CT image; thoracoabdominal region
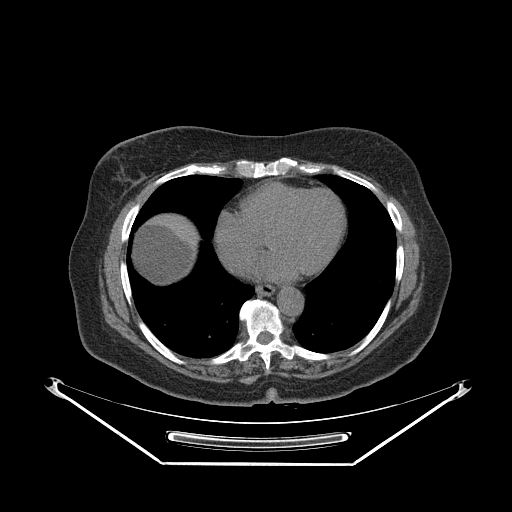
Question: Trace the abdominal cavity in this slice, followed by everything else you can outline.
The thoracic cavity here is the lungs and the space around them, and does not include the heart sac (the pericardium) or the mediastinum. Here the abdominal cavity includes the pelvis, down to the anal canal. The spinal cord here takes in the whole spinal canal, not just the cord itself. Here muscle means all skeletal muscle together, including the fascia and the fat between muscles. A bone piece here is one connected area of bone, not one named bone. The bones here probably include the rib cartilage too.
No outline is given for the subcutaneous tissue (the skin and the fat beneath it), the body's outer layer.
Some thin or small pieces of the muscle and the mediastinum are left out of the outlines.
Answer: {"abdominal_cavity":[[[163,212],[176,212],[189,218],[195,224],[200,234],[201,240],[199,243],[199,251],[197,259],[191,272],[186,277],[175,283],[165,286],[158,286],[154,285],[148,281],[136,271],[132,263],[131,254],[134,236],[138,228],[144,222],[151,218],[152,216]]],"spinal_cord":[[[265,331],[266,332],[268,332],[269,333],[270,333],[272,335],[272,339],[269,342],[268,342],[267,343],[266,343],[265,344],[263,344],[262,343],[260,343],[257,340],[257,338],[258,337],[258,335],[260,333],[261,333],[262,332],[264,332]]],"bones":[{"outer":[[249,299],[267,300],[278,309],[286,339],[310,351],[329,354],[330,357],[312,360],[295,355],[287,359],[274,350],[270,354],[269,372],[257,351],[244,361],[233,359],[221,364],[209,363],[210,358],[224,353],[240,339],[245,327],[239,320],[239,311]],"hole":[[265,331],[266,332],[268,332],[269,333],[270,333],[272,335],[272,339],[269,342],[268,342],[267,343],[266,343],[265,344],[263,344],[262,343],[260,343],[257,340],[257,338],[258,337],[258,335],[260,333],[261,333],[262,332],[264,332]]},[[281,157],[289,157],[303,164],[324,165],[323,173],[309,174],[294,171],[287,175],[262,177],[235,176],[231,172],[224,175],[195,173],[170,179],[156,187],[153,186],[157,179],[168,172],[191,163],[202,166],[216,164],[230,167],[239,159],[267,164]],[[139,317],[141,318],[141,319],[144,322],[144,323],[147,326],[150,331],[166,347],[171,350],[179,358],[185,361],[185,364],[179,364],[170,360],[168,358],[164,356],[161,353],[160,353],[147,340],[138,325],[138,319]],[[390,298],[391,299],[391,303],[390,304],[390,307],[389,308],[387,316],[378,332],[375,335],[375,336],[361,350],[353,355],[351,355],[350,356],[348,355],[348,354],[360,343],[361,340],[373,327],[373,326],[377,321],[378,318],[380,316],[388,300]],[[334,165],[340,168],[345,169],[349,171],[351,173],[355,175],[357,175],[367,180],[377,188],[378,192],[376,194],[375,194],[371,190],[370,190],[363,185],[361,185],[347,178],[345,178],[339,175],[334,174],[332,172],[332,170],[331,169],[332,166]],[[136,203],[140,203],[141,206],[132,223],[132,225],[131,226],[131,228],[129,232],[129,235],[128,236],[127,241],[126,242],[122,242],[121,241],[121,230],[122,229],[122,226],[123,225],[123,222],[124,221],[124,219],[128,211],[131,208],[131,207]],[[121,260],[124,260],[126,264],[127,274],[128,275],[128,279],[129,280],[129,284],[130,285],[130,289],[131,290],[131,297],[133,301],[132,305],[129,305],[127,301],[127,299],[122,286],[122,283],[121,282],[121,274],[120,273],[120,262]],[[387,200],[390,200],[394,204],[394,205],[396,207],[396,208],[398,210],[400,214],[400,216],[401,217],[401,222],[402,223],[402,231],[401,232],[399,232],[396,230],[395,228],[395,226],[385,206],[386,204],[386,201]],[[397,244],[401,244],[402,245],[402,246],[403,247],[403,270],[402,271],[402,274],[401,275],[401,278],[400,279],[400,280],[399,281],[399,282],[398,283],[396,283],[395,282],[395,273],[396,272],[396,250],[397,249]]],"muscle":[[[348,170],[358,171],[372,178],[403,206],[415,227],[420,260],[424,264],[424,284],[415,312],[356,364],[330,375],[313,379],[286,378],[270,374],[260,377],[251,384],[206,381],[192,378],[167,367],[122,336],[105,321],[101,309],[98,267],[104,256],[112,225],[121,209],[143,183],[158,174],[167,172],[152,183],[152,186],[156,188],[142,205],[136,202],[130,207],[120,230],[120,241],[126,243],[125,260],[121,259],[119,262],[121,286],[128,305],[132,306],[133,303],[139,315],[137,325],[140,331],[160,354],[179,365],[185,365],[186,361],[176,354],[195,359],[209,358],[207,361],[209,364],[221,365],[233,360],[244,362],[257,352],[267,373],[271,369],[271,354],[274,351],[287,360],[298,356],[306,360],[321,361],[328,360],[331,353],[345,350],[359,342],[347,354],[350,357],[357,354],[383,326],[391,307],[390,297],[394,285],[398,284],[402,278],[404,247],[401,243],[397,243],[396,231],[399,233],[403,231],[403,223],[399,210],[390,199],[387,199],[384,205],[376,195],[379,192],[376,186]],[[290,157],[297,157],[298,158],[304,159],[312,162],[320,162],[321,163],[326,163],[327,164],[333,164],[330,168],[332,173],[324,173],[326,169],[326,166],[324,164],[321,164],[320,163],[313,163],[312,162],[303,163],[298,161],[294,158]]],"pericardium":[[[280,176],[301,176],[313,179],[327,186],[336,194],[343,202],[347,212],[347,231],[345,237],[336,253],[322,271],[307,282],[277,283],[242,281],[228,271],[216,252],[214,246],[214,232],[218,218],[222,210],[246,188],[254,183],[271,178],[277,178]]],"mediastinum":[[[247,283],[276,283],[277,284],[281,283],[303,284],[306,283],[304,286],[305,302],[304,303],[303,311],[298,319],[292,325],[290,330],[295,342],[285,332],[286,328],[282,321],[279,309],[273,303],[267,299],[252,298],[255,293],[255,289],[251,284]],[[268,176],[279,176],[277,177],[271,177],[261,181],[254,182],[238,193],[237,195],[236,195],[235,197],[234,197],[233,199],[232,199],[231,201],[224,207],[231,198],[239,191],[243,184],[242,179],[238,177],[243,177],[244,178],[262,178]],[[296,174],[308,174],[309,175],[312,175],[313,174],[317,174],[316,174],[315,175],[315,178],[324,184],[323,184],[322,183],[319,182],[317,180],[316,180],[313,178],[310,178],[309,177],[305,177],[304,176],[302,176],[301,175],[294,175],[295,175]]],"thoracic_cavity":[{"outer":[[195,174],[241,179],[240,188],[219,213],[211,243],[225,269],[254,289],[251,298],[245,300],[238,311],[238,320],[244,327],[239,339],[224,352],[202,358],[175,353],[151,331],[134,303],[126,263],[127,242],[133,223],[149,196],[160,185],[170,180]],"hole":[[163,212],[176,212],[189,218],[195,224],[200,234],[201,240],[199,243],[199,251],[197,259],[191,272],[186,277],[175,283],[165,286],[158,286],[154,285],[148,281],[136,271],[132,263],[131,254],[134,236],[138,228],[144,222],[151,218],[152,216]]},[[318,174],[333,174],[371,191],[385,207],[394,226],[396,238],[394,284],[391,294],[379,316],[360,341],[350,347],[330,353],[310,350],[300,345],[296,342],[291,330],[305,308],[306,284],[323,271],[348,237],[348,210],[341,198],[327,185],[316,178]]],"torso":[[[178,125],[247,135],[351,126],[379,132],[398,144],[419,170],[451,251],[451,279],[445,301],[435,331],[421,352],[392,375],[339,398],[305,404],[271,401],[251,407],[176,398],[90,355],[77,330],[68,257],[84,215],[92,171],[100,157],[117,143]]]}